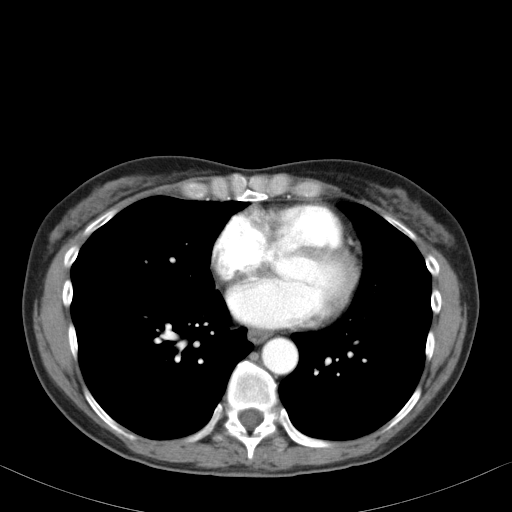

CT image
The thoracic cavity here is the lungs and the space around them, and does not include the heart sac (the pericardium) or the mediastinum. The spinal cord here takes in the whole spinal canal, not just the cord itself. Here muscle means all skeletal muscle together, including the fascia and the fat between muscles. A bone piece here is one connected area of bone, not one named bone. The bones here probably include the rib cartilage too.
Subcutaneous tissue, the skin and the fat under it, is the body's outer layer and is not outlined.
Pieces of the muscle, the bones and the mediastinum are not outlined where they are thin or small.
{"muscle":[[[231,173],[228,178],[215,176],[208,182],[182,182],[179,191],[183,197],[155,194],[120,210],[111,208],[85,227],[82,234],[87,238],[80,246],[75,243],[65,251],[63,266],[70,270],[62,285],[61,300],[70,311],[67,339],[86,386],[82,388],[83,396],[111,429],[131,441],[136,439],[134,433],[153,440],[183,437],[185,442],[191,443],[211,435],[221,421],[227,434],[244,445],[249,461],[257,445],[277,433],[277,424],[293,442],[311,448],[329,448],[334,444],[332,441],[359,438],[382,426],[383,432],[389,430],[407,415],[422,394],[418,383],[425,361],[432,358],[436,342],[430,329],[432,316],[438,314],[442,306],[440,291],[432,288],[432,277],[440,271],[439,263],[431,253],[424,256],[421,253],[412,230],[436,248],[456,274],[460,301],[466,305],[466,330],[458,361],[435,396],[394,436],[369,453],[325,464],[295,465],[272,471],[244,464],[208,468],[147,457],[129,449],[81,410],[52,380],[43,365],[33,327],[34,303],[42,296],[47,270],[61,246],[103,211],[142,190],[191,177]],[[278,173],[287,173],[298,177],[312,178],[332,185],[335,185],[342,188],[344,190],[346,190],[348,192],[350,192],[359,198],[363,198],[379,206],[394,215],[403,223],[387,213],[383,213],[380,215],[369,207],[361,203],[351,201],[348,199],[345,199],[341,197],[334,197],[328,195],[322,195],[324,192],[324,187],[319,182],[313,181],[312,180],[302,180],[301,181],[295,181],[293,182],[292,178],[288,174],[286,173]]],"torso":[[[167,154],[244,168],[320,158],[363,161],[411,179],[452,213],[473,256],[479,315],[460,378],[417,433],[384,457],[361,465],[287,477],[227,477],[158,469],[124,458],[61,413],[36,376],[23,331],[22,289],[34,235],[48,211],[88,178],[130,159]]],"spinal_cord":[[[250,408],[253,408],[254,409],[256,409],[257,410],[258,410],[262,414],[262,420],[252,430],[248,430],[242,424],[242,423],[240,421],[240,420],[239,419],[239,413],[241,411],[242,411],[243,410],[245,410],[246,409],[249,409]]],"mediastinum":[[[245,326],[270,332],[277,332],[278,331],[294,332],[291,334],[291,339],[296,345],[298,350],[299,354],[298,362],[295,368],[280,381],[278,386],[274,378],[269,372],[263,367],[245,358],[253,349],[253,344],[247,339],[246,336],[247,328]],[[282,195],[286,196],[290,195],[291,196],[296,196],[297,197],[303,198],[316,198],[320,196],[328,196],[334,198],[344,199],[345,200],[341,200],[337,204],[337,206],[350,220],[358,238],[356,236],[352,226],[346,218],[335,207],[329,203],[313,199],[304,199],[303,198],[300,197],[299,197],[289,197],[288,198],[270,198]]],"thoracic_cavity":[[[155,195],[249,203],[229,218],[215,239],[209,270],[234,326],[246,328],[245,336],[252,349],[233,368],[225,392],[208,421],[190,434],[170,439],[137,434],[121,425],[98,403],[80,368],[78,339],[70,310],[73,298],[70,271],[81,246],[121,210]],[[346,200],[369,208],[413,241],[431,276],[432,315],[423,368],[406,402],[375,430],[351,439],[330,440],[305,434],[292,423],[280,401],[278,387],[299,362],[300,354],[292,334],[316,332],[333,324],[348,309],[359,285],[363,250],[351,220],[338,206]]],"pericardium":[[[289,198],[300,198],[329,204],[335,208],[349,223],[361,245],[361,275],[347,309],[333,323],[318,330],[270,331],[257,327],[251,327],[238,322],[230,313],[222,294],[216,288],[210,270],[213,245],[224,226],[234,214],[248,206],[263,203],[270,199]]],"bones":[{"outer":[[244,359],[263,368],[273,378],[279,401],[291,423],[300,432],[329,440],[333,444],[329,447],[299,444],[277,423],[276,433],[264,437],[249,460],[245,445],[228,434],[221,420],[211,434],[195,441],[185,441],[184,437],[209,421],[226,392],[234,368]],"hole":[[250,408],[253,408],[254,409],[256,409],[257,410],[258,410],[262,414],[262,420],[252,430],[248,430],[242,424],[242,423],[240,421],[240,420],[239,419],[239,413],[241,411],[242,411],[243,410],[245,410],[246,409],[249,409]]},[[233,173],[241,174],[247,179],[254,175],[271,177],[276,174],[286,174],[293,183],[302,181],[319,183],[323,187],[323,192],[316,197],[282,194],[255,201],[219,200],[212,197],[190,199],[182,195],[180,191],[182,183],[208,183],[215,177],[228,179]],[[84,387],[86,387],[88,389],[94,399],[104,410],[104,411],[116,422],[122,426],[128,432],[132,433],[135,436],[135,439],[131,440],[122,434],[120,434],[116,432],[112,428],[111,428],[94,411],[84,396],[84,393],[83,392],[83,388]],[[417,386],[420,386],[421,387],[421,394],[418,400],[415,403],[413,407],[406,414],[406,415],[405,415],[396,424],[395,424],[389,429],[385,431],[383,431],[383,428],[386,424],[386,423],[388,422],[402,408],[402,407],[410,398],[410,397],[414,392]],[[114,208],[119,209],[119,211],[110,219],[109,219],[105,223],[104,223],[101,226],[100,226],[94,231],[93,231],[88,236],[85,236],[83,234],[84,230],[89,224],[90,224],[93,221],[94,221],[97,218],[101,216],[107,211],[111,209],[113,209]],[[71,322],[72,322],[72,323],[74,326],[74,329],[75,330],[75,333],[76,334],[76,338],[77,339],[77,360],[75,360],[73,357],[73,355],[72,354],[72,353],[71,352],[71,350],[70,349],[70,346],[69,345],[69,340],[68,339],[68,326]],[[383,214],[387,214],[391,217],[392,217],[394,219],[399,221],[402,224],[403,224],[415,235],[416,237],[416,240],[415,241],[412,240],[407,235],[406,235],[403,232],[399,230],[391,223],[390,223],[387,220],[386,220],[382,216]],[[75,244],[78,245],[80,247],[79,248],[79,250],[77,253],[77,255],[76,256],[76,257],[75,258],[74,261],[72,263],[71,266],[69,268],[67,268],[64,266],[64,255],[65,254],[66,251],[71,246],[72,246]],[[427,254],[431,254],[436,259],[436,260],[438,263],[438,265],[439,266],[439,271],[438,272],[438,274],[436,276],[432,276],[431,275],[431,274],[430,273],[430,272],[429,271],[429,270],[426,265],[426,263],[425,262],[425,259],[424,258],[424,257]]]}